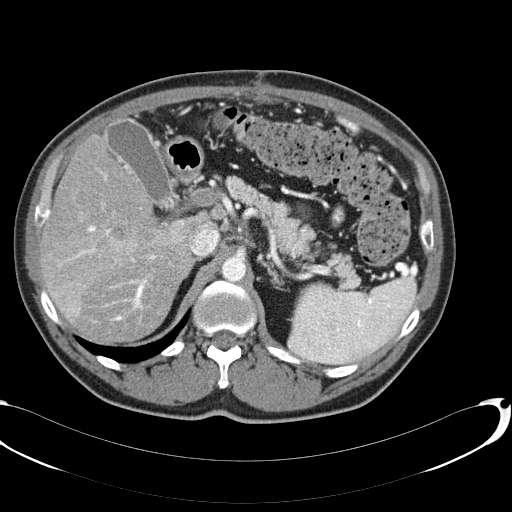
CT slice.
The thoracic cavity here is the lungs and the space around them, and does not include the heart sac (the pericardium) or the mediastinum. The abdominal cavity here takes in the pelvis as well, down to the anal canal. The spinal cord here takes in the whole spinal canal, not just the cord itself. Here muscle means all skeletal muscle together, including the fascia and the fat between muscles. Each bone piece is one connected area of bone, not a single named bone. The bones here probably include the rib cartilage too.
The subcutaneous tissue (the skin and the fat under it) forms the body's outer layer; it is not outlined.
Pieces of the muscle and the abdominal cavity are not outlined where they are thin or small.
The bones appear in 10 outlined pieces: piece 1: 216,280 223,280 241,286 253,300 257,312 255,325 244,337 245,344 241,356 228,366 229,383 224,388 220,388 218,385 219,366 206,355 206,349 202,347 203,333 196,326 192,316 192,309 198,296 206,286, around a hole outlined by 221,330 228,330 229,331 234,333 236,335 236,336 237,337 237,342 233,346 232,346 227,349 221,349 220,348 215,346 213,344 213,343 212,342 212,340 211,339 212,338 214,333 215,333 218,331 220,331; piece 2: 60,153 62,154 62,157 57,167 55,177 52,185 51,197 50,198 51,199 48,208 49,209 49,213 43,222 43,224 40,229 38,229 34,225 35,206 40,199 41,187 45,177 46,171 54,158; piece 3: 428,218 430,218 432,220 432,222 433,223 433,241 434,242 434,244 433,245 433,249 430,251 427,251 426,252 425,251 424,246 422,243 422,241 420,237 420,234 419,233 419,227 420,226 421,222; piece 4: 42,289 44,289 46,291 49,298 51,300 53,304 53,306 55,308 55,310 57,313 57,315 59,319 61,321 61,325 59,325 55,322 54,322 47,315 47,314 45,312 42,306 41,301 40,300 40,292; piece 5: 415,307 417,307 419,309 419,318 418,319 418,321 416,325 409,333 403,336 401,338 396,340 396,338 398,334 400,332 402,328 402,326 406,321 408,316 410,314 412,310; piece 6: 352,364 358,364 358,367 353,372 345,376 343,376 342,377 339,377 338,378 330,378 326,376 323,372 323,370 324,369 327,369 328,368 334,368 335,367 339,367 340,366 346,366 347,365 351,365; piece 7: 267,344 268,345 270,345 274,347 283,348 285,350 289,352 293,356 300,360 301,362 299,364 294,364 293,363 290,363 289,362 287,362 286,361 284,361 283,360 279,359 277,357 272,355 267,350 265,346; piece 8: 176,338 179,338 181,339 184,342 184,347 183,349 179,353 175,355 171,355 170,356 164,356 163,355 159,355 158,354 164,348 165,348 167,346 171,344 175,340; piece 9: 95,355 103,355 104,356 106,356 109,358 111,358 117,361 119,363 120,363 120,365 121,366 121,370 119,371 118,370 115,370 114,369 112,369 111,368 109,368 108,367 106,367 104,366 100,362 98,361; piece 10: 417,163 419,163 421,164 422,167 424,169 424,172 425,173 426,178 429,183 429,193 427,195 425,195 422,190 422,187 420,183 420,178 419,177 419,175 417,171 417,168 416,167 416,164. The spinal cord is outlined by 221,330 228,330 229,331 234,333 236,335 236,336 237,337 237,342 233,346 232,346 227,349 221,349 220,348 215,346 213,344 213,343 212,342 212,340 211,339 212,338 214,333 215,333 218,331 220,331. The abdominal cavity is outlined by 254,93 341,114 408,162 426,261 414,307 397,335 359,364 312,369 269,334 260,300 255,303 241,285 223,279 206,285 189,318 186,312 154,341 118,347 73,335 46,290 38,243 53,185 76,147 122,116. The torso is outlined by 239,68 308,73 369,97 415,132 443,174 456,245 447,303 436,328 403,370 358,408 252,424 223,415 182,420 118,407 98,398 64,369 21,299 13,259 14,218 28,172 46,144 86,110 132,86 175,74. The thoracic cavity is outlined by 186,313 188,313 188,320 171,343 164,347 157,354 136,362 119,362 117,360 103,354 94,354 79,343 74,336 77,336 88,342 91,342 101,346 117,347 118,348 133,348 159,340 169,333 178,324. The muscle is outlined by 206,85 208,86 209,85 211,86 227,86 228,85 242,86 243,85 252,87 273,86 280,88 293,88 294,89 308,90 332,96 362,109 376,119 379,120 387,128 404,138 419,150 429,162 436,178 438,186 439,204 441,213 441,225 443,234 443,254 440,265 439,284 437,292 433,300 433,303 424,320 424,322 421,325 418,331 410,340 406,349 397,361 380,376 373,380 368,381 362,385 354,387 336,397 324,401 312,407 304,409 292,410 291,411 265,411 261,409 258,409 239,400 229,391 228,392 223,389 215,389 212,392 200,399 188,402 182,405 164,405 144,400 140,400 129,395 124,394 70,358 58,346 52,338 34,299 33,296 34,293 30,285 29,278 24,262 25,225 26,224 27,213 29,209 31,197 36,184 39,172 47,157 63,139 84,123 98,114 111,109 128,100 160,90 184,87 185,86 205,86; inner edges: 254,93 341,114 408,162 420,221 432,220 434,242 425,253 416,325 353,372 330,378 322,369 267,350 267,344 282,345 269,334 257,297 257,322 244,337 241,356 228,366 224,388 191,315 176,337 184,342 179,353 121,362 119,371 104,366 63,321 59,325 47,315 40,300 46,285 34,211 48,167 62,154 54,183 76,147 116,118 196,98, then 417,163 419,163 421,164 422,167 424,169 424,172 425,173 426,178 429,183 429,193 427,195 425,195 422,190 422,187 420,183 420,178 419,177 419,175 417,171 417,168 416,167 416,164.